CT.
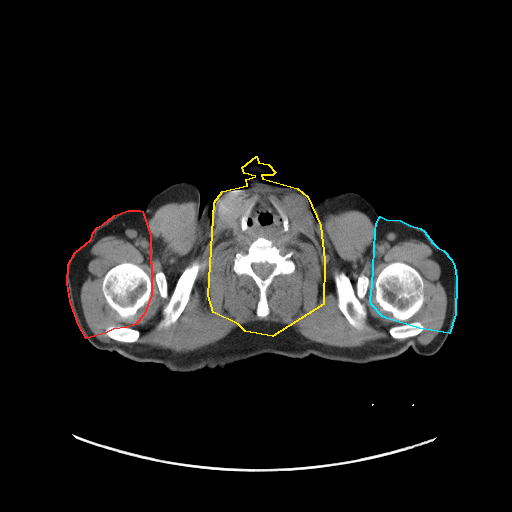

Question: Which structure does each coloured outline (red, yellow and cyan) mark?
Answer: red: right arm; yellow: head and neck; cyan: left arm.
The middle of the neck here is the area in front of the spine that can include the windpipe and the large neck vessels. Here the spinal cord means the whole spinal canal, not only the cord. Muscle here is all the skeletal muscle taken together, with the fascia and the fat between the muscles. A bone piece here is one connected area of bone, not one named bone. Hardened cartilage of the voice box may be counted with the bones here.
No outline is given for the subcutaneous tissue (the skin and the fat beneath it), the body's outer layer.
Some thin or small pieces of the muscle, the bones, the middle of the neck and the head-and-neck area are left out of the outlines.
{"right_arm":[[[128,210],[140,210],[142,211],[149,232],[150,236],[150,262],[151,263],[151,295],[143,315],[135,324],[126,327],[113,329],[105,333],[86,338],[78,324],[70,301],[67,283],[68,264],[75,252],[91,239],[93,232],[97,227],[103,224],[114,215]]],"head_and_neck":[[[256,156],[258,162],[268,164],[275,172],[272,175],[261,175],[262,178],[297,188],[307,196],[320,225],[324,260],[323,304],[272,336],[245,331],[238,324],[213,312],[208,295],[214,202],[222,191],[247,185],[246,179],[255,176],[244,173],[242,167]]],"left_arm":[[[380,216],[386,219],[400,220],[410,225],[420,228],[424,231],[432,242],[437,247],[443,250],[451,259],[454,266],[456,277],[456,298],[455,299],[455,314],[449,333],[419,328],[386,318],[382,316],[371,304],[370,299],[372,285],[375,231],[376,223]]],"middle_of_the_neck":[[[258,202],[269,202],[277,208],[282,219],[283,230],[286,232],[289,228],[288,218],[291,229],[282,235],[274,235],[269,237],[257,237],[240,231],[237,227],[238,220],[239,219],[240,223],[240,229],[242,231],[245,231],[248,227],[247,219],[252,207]]],"bones":[[[392,262],[403,262],[410,265],[418,271],[423,279],[423,294],[424,295],[424,301],[423,302],[423,304],[410,318],[404,321],[398,320],[395,318],[389,311],[385,311],[383,310],[375,300],[375,281],[376,280],[376,278],[382,269],[384,268],[386,265]],[[122,262],[131,262],[134,264],[138,265],[145,271],[149,276],[151,281],[151,292],[150,293],[150,297],[149,299],[134,315],[130,316],[127,318],[123,318],[120,316],[119,314],[107,303],[104,294],[102,291],[102,282],[105,274],[112,267]],{"outer":[[258,237],[270,240],[283,253],[292,252],[291,259],[295,264],[295,269],[292,273],[275,276],[267,287],[266,297],[269,313],[265,317],[260,317],[256,314],[259,289],[252,277],[247,274],[239,275],[232,268],[235,254],[237,252],[245,253],[249,245]],"hole":[[254,263],[268,263],[269,264],[273,264],[274,265],[274,267],[273,268],[273,269],[272,270],[272,271],[269,274],[269,275],[267,277],[266,277],[265,278],[262,278],[260,276],[259,276],[254,271],[254,270],[253,269],[253,266],[252,265]]},[[196,258],[198,258],[202,266],[198,272],[189,299],[184,309],[175,322],[167,327],[158,328],[157,325],[163,316],[162,310],[167,303],[168,299],[163,298],[160,295],[155,281],[155,274],[161,271],[165,275],[169,296],[173,291],[180,275],[185,268]],[[339,272],[343,272],[349,278],[352,286],[354,288],[356,286],[357,280],[361,274],[365,275],[369,279],[367,290],[363,298],[360,300],[364,304],[367,312],[365,327],[361,330],[358,330],[349,323],[338,306],[338,300],[334,282],[334,275]],[[109,326],[126,326],[127,327],[130,327],[131,328],[133,328],[134,329],[136,329],[139,331],[139,337],[138,338],[138,339],[135,342],[121,342],[120,341],[117,341],[116,340],[115,340],[114,339],[109,337],[105,333],[105,330],[106,329],[106,328]],[[414,321],[418,321],[420,322],[423,326],[423,330],[420,333],[415,336],[408,337],[404,339],[396,339],[395,338],[393,338],[389,333],[389,329],[392,326],[394,326],[395,325],[401,325],[402,324],[405,324],[406,323],[409,323],[410,322],[413,322]],[[251,206],[252,206],[251,207],[251,209],[250,210],[250,211],[249,212],[249,213],[247,216],[247,218],[246,219],[246,225],[247,226],[247,227],[245,230],[242,230],[241,229],[241,223],[240,222],[240,218],[241,217],[242,214],[249,207],[250,207]]],"spinal_cord":[[[254,263],[268,263],[269,264],[273,264],[274,265],[274,267],[273,268],[273,269],[272,270],[272,271],[269,274],[269,275],[267,277],[266,277],[265,278],[262,278],[260,276],[259,276],[254,271],[254,270],[253,269],[253,266],[252,265]]],"muscle":[{"outer":[[256,187],[300,195],[318,222],[327,213],[355,209],[370,219],[378,237],[390,231],[428,245],[447,296],[437,335],[425,345],[408,338],[424,330],[414,320],[388,329],[393,339],[404,340],[339,347],[312,341],[285,323],[255,320],[188,352],[138,343],[140,331],[126,325],[105,328],[114,340],[98,339],[86,322],[80,285],[99,239],[127,229],[146,233],[147,220],[168,202],[195,201],[198,221],[209,225],[224,196]],"holes":[[[258,202],[269,202],[287,216],[291,229],[266,238],[283,253],[292,252],[291,259],[295,264],[292,273],[275,276],[267,287],[269,313],[265,317],[256,314],[259,289],[252,277],[239,275],[232,268],[235,254],[245,253],[257,238],[240,231],[237,222]],[[392,262],[403,262],[410,265],[418,271],[423,279],[423,294],[424,295],[424,301],[423,302],[423,304],[410,318],[404,321],[398,320],[395,318],[389,311],[385,311],[383,310],[375,300],[375,281],[376,280],[376,278],[382,269],[384,268],[386,265]],[[122,262],[131,262],[134,264],[138,265],[145,271],[149,276],[151,281],[151,292],[150,293],[150,297],[149,299],[134,315],[130,316],[127,318],[123,318],[120,316],[119,314],[107,303],[104,294],[102,291],[102,282],[105,274],[112,267]],[[196,258],[198,258],[202,266],[198,272],[189,299],[184,309],[175,322],[167,327],[158,328],[157,325],[163,316],[162,310],[167,303],[168,299],[163,298],[160,295],[155,281],[155,274],[161,271],[165,275],[169,296],[173,291],[180,275],[185,268]],[[339,272],[343,272],[349,278],[352,286],[354,288],[356,286],[357,280],[361,274],[365,275],[369,279],[367,290],[363,298],[360,300],[364,304],[367,312],[365,327],[361,330],[358,330],[349,323],[338,306],[338,300],[334,282],[334,275]]]}],"torso":[[[178,182],[198,187],[201,210],[210,202],[213,313],[272,337],[322,306],[313,205],[349,191],[379,215],[370,304],[386,319],[448,333],[444,343],[430,356],[409,347],[363,364],[262,353],[192,372],[96,348],[87,339],[144,315],[152,263],[143,211]]]}